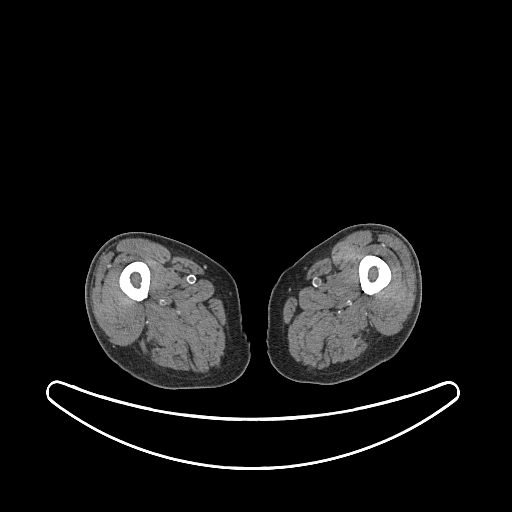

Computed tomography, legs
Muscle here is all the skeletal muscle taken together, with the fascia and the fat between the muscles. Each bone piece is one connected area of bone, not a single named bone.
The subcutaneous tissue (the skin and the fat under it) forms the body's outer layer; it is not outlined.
{"right_leg":[[[132,231],[150,232],[185,243],[221,264],[232,275],[238,289],[242,325],[250,341],[251,348],[249,363],[244,372],[235,381],[215,388],[162,388],[135,378],[120,368],[106,355],[90,326],[86,312],[84,299],[86,275],[93,256],[108,239],[117,234]]],"muscle":[{"outer":[[125,238],[155,240],[175,254],[193,260],[203,267],[205,273],[214,285],[218,296],[223,302],[226,314],[226,345],[220,367],[203,379],[178,378],[157,369],[140,355],[126,347],[114,347],[98,325],[92,310],[90,298],[94,271],[101,255],[113,244]],"hole":[[133,261],[143,261],[148,266],[150,270],[150,283],[149,284],[149,289],[148,290],[148,295],[146,298],[140,301],[137,301],[136,300],[134,300],[130,298],[127,295],[126,295],[122,291],[119,285],[119,276],[120,275],[120,273],[121,271],[127,264]]},{"outer":[[379,229],[396,236],[405,243],[414,265],[418,290],[408,318],[400,331],[374,345],[355,363],[345,368],[328,374],[313,373],[302,368],[286,353],[282,331],[282,310],[286,299],[296,294],[303,286],[309,267],[318,259],[328,256],[338,241],[358,230]],"hole":[[368,254],[371,254],[372,255],[375,255],[380,257],[386,262],[386,263],[389,266],[391,271],[391,279],[389,283],[378,292],[371,295],[369,295],[365,293],[362,290],[360,285],[359,274],[358,273],[358,266],[359,265],[360,260],[365,255],[367,255]]}],"left_leg":[[[364,223],[376,223],[390,226],[401,233],[412,245],[419,261],[422,280],[421,306],[415,325],[402,347],[392,358],[358,377],[340,383],[328,385],[297,382],[288,379],[273,367],[266,351],[267,308],[271,290],[280,274],[311,248],[343,228],[355,224]]],"bones":[[[368,254],[371,254],[372,255],[375,255],[380,257],[386,262],[386,263],[389,266],[391,271],[391,279],[389,283],[378,292],[371,295],[369,295],[365,293],[362,290],[360,285],[359,274],[358,273],[358,266],[359,265],[360,260],[365,255],[367,255]],[[133,261],[143,261],[148,266],[150,270],[150,283],[149,284],[149,289],[148,290],[148,295],[146,298],[140,301],[137,301],[136,300],[134,300],[130,298],[127,295],[126,295],[122,291],[119,285],[119,276],[120,275],[120,273],[121,271],[127,264]]]}